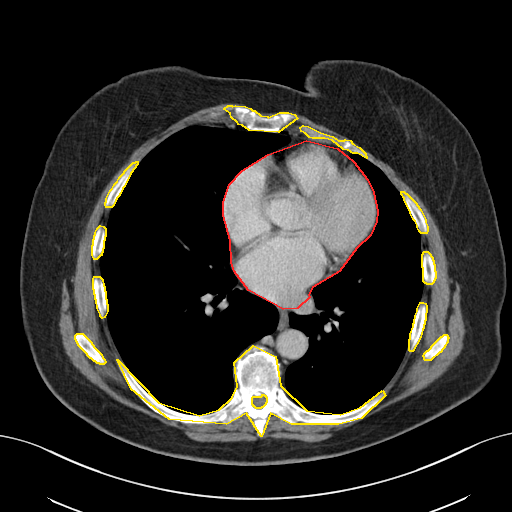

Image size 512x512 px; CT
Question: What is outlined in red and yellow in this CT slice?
Answer: red: pericardium; yellow: bones.
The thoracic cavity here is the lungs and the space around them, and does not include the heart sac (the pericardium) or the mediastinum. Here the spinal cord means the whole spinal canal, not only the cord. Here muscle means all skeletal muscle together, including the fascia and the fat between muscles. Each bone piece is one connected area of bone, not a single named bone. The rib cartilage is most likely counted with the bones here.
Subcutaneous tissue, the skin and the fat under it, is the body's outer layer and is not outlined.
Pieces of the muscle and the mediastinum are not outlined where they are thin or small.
{"pericardium":[[[306,140],[337,148],[353,161],[367,179],[373,192],[377,211],[376,221],[370,235],[356,248],[339,271],[312,287],[308,294],[309,297],[297,308],[283,309],[248,290],[234,271],[231,262],[230,240],[223,215],[223,202],[229,184],[242,170],[268,154]]],"bones":[{"outer":[[253,345],[275,356],[280,385],[306,410],[340,414],[360,407],[382,390],[385,395],[361,418],[338,424],[291,424],[270,413],[261,436],[246,413],[226,424],[169,419],[131,389],[117,359],[158,402],[199,415],[219,409],[232,397],[237,386],[234,362]],"hole":[[262,394],[263,394],[264,395],[265,395],[265,396],[266,397],[266,402],[265,403],[265,404],[262,407],[261,407],[260,408],[256,408],[254,406],[253,406],[253,405],[252,404],[252,397],[253,396],[261,396],[262,395]]},[[228,105],[231,105],[232,106],[235,105],[245,106],[250,108],[252,110],[254,110],[260,115],[267,116],[268,117],[279,112],[288,112],[294,114],[297,118],[278,132],[249,130],[242,125],[238,124],[237,122],[231,117],[230,113],[224,109],[224,108]],[[303,125],[308,126],[320,132],[332,136],[338,140],[344,140],[345,139],[350,140],[352,143],[359,147],[365,153],[366,158],[357,153],[353,153],[348,150],[343,149],[332,140],[324,138],[312,138],[309,137],[305,133],[301,131],[300,127]],[[420,302],[423,302],[425,303],[426,305],[425,320],[424,321],[424,324],[423,325],[423,328],[422,329],[420,337],[412,351],[410,351],[409,350],[409,339],[410,338],[410,334],[413,326],[413,323],[414,322],[415,315],[417,311],[417,308]],[[136,161],[137,161],[137,164],[130,173],[124,186],[122,188],[120,193],[115,200],[113,205],[111,207],[106,207],[105,205],[105,202],[106,201],[106,198],[110,190],[112,188],[114,184],[117,181],[119,177],[124,172],[124,171],[133,162],[135,162]],[[401,191],[403,191],[405,193],[406,193],[416,203],[416,204],[420,209],[425,219],[425,222],[427,226],[427,231],[426,233],[421,233],[419,231],[417,227],[417,225],[415,221],[413,219],[410,213],[410,211],[404,200],[404,198],[401,194]],[[94,276],[99,276],[102,279],[103,285],[104,286],[104,290],[105,291],[105,298],[106,299],[106,303],[107,304],[107,311],[104,317],[102,318],[100,316],[100,314],[97,308],[96,300],[95,299],[95,295],[94,294],[94,290],[93,289],[93,278]],[[77,333],[82,333],[91,342],[91,343],[93,345],[93,346],[101,354],[102,357],[104,359],[105,362],[103,364],[100,364],[99,363],[97,363],[95,361],[94,361],[91,358],[90,358],[87,355],[87,354],[78,345],[78,344],[75,339],[75,335]],[[424,251],[427,251],[430,254],[430,255],[432,257],[432,259],[433,260],[433,263],[434,264],[434,270],[435,271],[435,278],[434,279],[434,280],[433,281],[433,282],[431,284],[427,284],[426,283],[425,283],[423,281],[423,268],[422,267],[422,254]],[[100,225],[103,226],[105,228],[105,236],[104,237],[104,240],[103,241],[103,248],[102,249],[102,252],[101,253],[101,255],[100,255],[96,259],[94,259],[92,255],[92,245],[93,244],[93,239],[94,238],[94,235],[95,234],[95,232],[97,228]],[[444,334],[446,334],[448,337],[448,338],[447,339],[447,342],[444,346],[444,347],[441,350],[441,351],[440,352],[439,352],[430,360],[425,360],[424,359],[424,357],[423,356],[424,353],[427,350],[428,350],[431,347],[431,346],[441,336],[442,336]]],"spinal_cord":[[[262,394],[263,394],[264,395],[265,395],[265,396],[266,397],[266,402],[265,403],[265,404],[262,407],[261,407],[260,408],[256,408],[254,406],[253,406],[253,405],[252,404],[252,397],[253,396],[261,396],[262,395]]],"torso":[[[322,59],[370,61],[413,78],[470,133],[506,264],[502,355],[493,377],[469,399],[398,436],[295,463],[229,465],[168,456],[82,420],[52,394],[36,369],[19,293],[30,205],[58,132],[90,95],[134,71],[183,65],[208,75],[300,90],[306,70]]],"mediastinum":[[[311,290],[312,300],[303,304],[302,308],[305,313],[291,311],[288,314],[289,325],[309,338],[309,345],[304,355],[289,364],[282,373],[281,364],[276,356],[263,346],[253,344],[245,349],[275,330],[278,311],[273,304],[283,310],[295,310],[310,297]],[[284,129],[295,130],[297,132],[305,134],[309,138],[316,140],[323,140],[326,142],[335,144],[343,150],[353,154],[351,155],[351,158],[350,158],[345,152],[337,147],[313,142],[307,139],[292,143],[277,149],[286,145],[291,140],[288,135],[278,133]],[[238,278],[239,279],[239,280],[243,284],[243,285],[245,287],[245,288],[248,291],[249,291],[251,293],[250,293],[249,292],[248,292],[247,291],[246,291],[243,289],[240,289],[237,286],[237,285],[239,282],[239,281],[238,280]]],"thoracic_cavity":[[[194,125],[239,125],[290,139],[237,173],[223,196],[222,215],[236,286],[272,304],[277,322],[271,333],[249,344],[234,360],[232,375],[236,386],[231,397],[219,408],[199,414],[161,403],[127,367],[109,329],[102,278],[108,218],[131,173],[158,144]],[[354,154],[379,168],[403,198],[419,232],[422,291],[403,357],[384,387],[356,408],[319,413],[297,404],[281,385],[287,367],[304,356],[310,345],[309,336],[290,325],[289,314],[305,314],[304,304],[313,300],[312,289],[339,272],[374,230],[376,198]]],"muscle":[{"outer":[[221,103],[244,105],[228,104],[223,108],[236,122],[235,126],[194,124],[172,133],[138,163],[137,160],[133,161],[109,190],[104,202],[106,208],[111,208],[106,225],[100,224],[96,228],[91,245],[92,258],[96,260],[101,256],[101,277],[94,275],[92,278],[96,308],[102,319],[107,317],[110,335],[121,358],[115,362],[127,385],[147,407],[169,420],[183,424],[226,425],[246,414],[253,420],[256,435],[261,437],[270,414],[291,425],[299,422],[338,425],[361,419],[386,395],[383,389],[399,367],[408,345],[410,352],[417,345],[427,314],[426,303],[420,301],[423,284],[431,285],[436,278],[436,271],[431,254],[427,250],[421,251],[420,233],[426,234],[428,231],[421,209],[406,192],[400,192],[354,142],[391,166],[419,196],[433,217],[443,241],[448,274],[459,284],[465,333],[458,356],[429,385],[350,426],[334,431],[321,441],[305,442],[287,438],[230,442],[193,440],[182,430],[109,396],[72,364],[64,350],[58,324],[62,282],[74,273],[78,242],[101,192],[132,152],[148,138],[200,109]],"holes":[[[77,333],[82,333],[91,342],[91,343],[93,345],[93,346],[101,354],[102,357],[104,359],[105,362],[103,364],[100,364],[99,363],[97,363],[95,361],[94,361],[91,358],[90,358],[87,355],[87,354],[78,345],[78,344],[75,339],[75,335]],[[444,334],[446,334],[448,337],[448,338],[447,339],[447,342],[444,346],[444,347],[441,350],[441,351],[440,352],[439,352],[430,360],[425,360],[424,359],[424,357],[423,356],[424,353],[427,350],[428,350],[431,347],[431,346],[441,336],[442,336]]]},[[290,111],[296,112],[302,115],[304,115],[314,122],[321,124],[337,132],[339,134],[345,136],[347,138],[338,139],[332,135],[330,135],[313,127],[304,124],[301,125],[299,127],[301,132],[291,128],[284,128],[294,122],[298,118],[294,113],[289,112]]]}